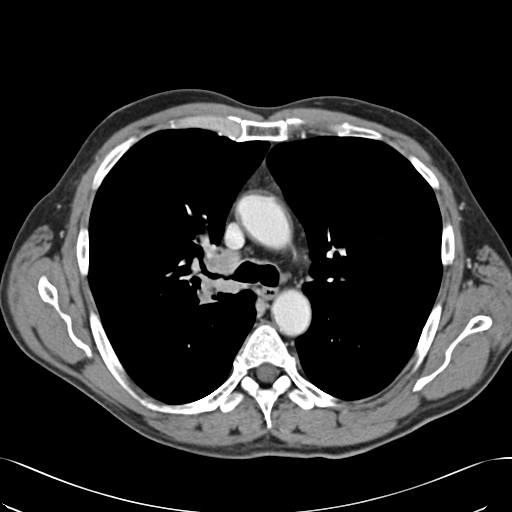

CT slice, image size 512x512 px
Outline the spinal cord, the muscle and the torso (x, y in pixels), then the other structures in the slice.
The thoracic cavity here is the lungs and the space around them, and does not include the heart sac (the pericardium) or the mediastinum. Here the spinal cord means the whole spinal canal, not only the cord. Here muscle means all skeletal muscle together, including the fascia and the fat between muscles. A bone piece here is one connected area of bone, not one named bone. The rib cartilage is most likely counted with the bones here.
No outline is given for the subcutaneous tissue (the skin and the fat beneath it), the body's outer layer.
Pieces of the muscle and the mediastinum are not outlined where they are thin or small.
The spinal cord is outlined by [[263,363],[269,363],[273,365],[277,369],[279,368],[281,368],[283,370],[283,372],[279,376],[276,377],[274,379],[271,385],[269,387],[262,387],[253,379],[253,378],[250,375],[250,373],[249,372],[249,371],[251,369],[255,369]]. The muscle appears in 2 outlined pieces: piece 1: [[192,102],[222,103],[251,111],[264,118],[278,111],[296,107],[339,111],[379,123],[419,143],[451,187],[462,217],[461,234],[466,256],[473,262],[477,250],[486,244],[498,254],[511,272],[511,340],[490,364],[481,379],[461,395],[417,413],[414,412],[390,432],[364,442],[342,446],[303,445],[298,447],[287,446],[272,435],[268,437],[264,435],[247,443],[212,447],[185,443],[167,436],[145,422],[137,420],[129,412],[108,402],[79,379],[35,353],[17,329],[7,302],[8,276],[17,251],[37,227],[45,224],[54,232],[53,248],[57,250],[60,247],[62,240],[59,238],[59,232],[66,229],[70,204],[78,182],[93,162],[97,151],[112,134],[129,123],[150,114]] with holes at [[202,115],[298,117],[306,122],[294,133],[311,135],[332,134],[327,127],[345,121],[377,131],[432,170],[441,221],[453,229],[454,257],[442,268],[435,298],[442,306],[439,322],[415,371],[407,377],[411,364],[377,393],[340,399],[339,407],[303,409],[283,393],[271,408],[270,429],[245,392],[228,412],[168,413],[144,406],[116,380],[91,331],[89,311],[98,310],[76,255],[97,192],[93,178],[107,153],[129,137]] and at [[480,314],[490,316],[492,320],[490,327],[486,330],[474,332],[464,337],[454,347],[451,353],[450,360],[446,367],[425,384],[421,389],[417,391],[413,391],[412,388],[420,377],[430,374],[441,365],[445,358],[446,349],[464,329],[469,320],[472,317]] and at [[43,275],[56,288],[57,301],[60,309],[64,313],[69,315],[71,319],[72,331],[90,348],[92,355],[91,357],[88,357],[84,350],[78,347],[72,341],[67,330],[67,325],[56,309],[51,304],[44,301],[41,298],[38,292],[37,285],[40,277]]; piece 2: [[129,377],[129,378],[140,389],[141,389],[144,392],[145,392],[149,396],[150,396],[151,397],[148,397],[147,396],[145,396],[144,397],[143,396],[141,396],[130,385],[130,384],[129,383],[129,380],[128,379],[129,378]]. The torso is outlined by [[176,88],[213,90],[258,106],[318,95],[349,96],[403,112],[433,132],[456,160],[511,254],[511,352],[487,386],[462,407],[363,453],[335,459],[271,455],[225,459],[186,452],[141,435],[27,356],[10,335],[0,312],[0,275],[24,219],[110,112]]. The thoracic cavity appears in 2 outlined pieces: piece 1: [[188,128],[214,131],[237,142],[268,141],[269,145],[231,204],[217,245],[221,277],[255,295],[256,316],[252,329],[236,353],[229,375],[219,386],[198,399],[171,404],[152,397],[130,378],[106,334],[88,280],[88,227],[97,190],[131,146],[158,130]]; piece 2: [[330,134],[383,141],[397,150],[433,190],[442,222],[440,283],[413,353],[386,387],[353,400],[340,399],[308,380],[291,352],[312,319],[310,300],[303,289],[313,279],[309,274],[312,261],[305,230],[266,161],[269,151],[280,142]]. The bones appear in 9 outlined pieces: piece 1: [[90,310],[98,314],[129,385],[141,397],[176,405],[208,395],[230,375],[251,331],[268,324],[294,354],[298,371],[341,405],[303,409],[283,393],[271,408],[270,429],[256,400],[245,392],[228,412],[218,407],[194,414],[150,409],[108,369],[91,331]]; inner edge: [[263,363],[269,363],[273,365],[277,369],[279,368],[281,368],[283,370],[283,372],[279,376],[276,377],[274,379],[271,385],[269,387],[262,387],[253,379],[253,378],[250,375],[250,373],[249,372],[249,371],[251,369],[255,369]]; piece 2: [[202,115],[222,117],[233,115],[255,121],[298,117],[306,122],[294,131],[293,137],[279,142],[259,139],[237,141],[214,130],[199,127],[158,129],[131,145],[98,188],[95,191],[92,189],[97,169],[107,153],[116,145],[131,136],[139,137],[172,119]]; piece 3: [[480,314],[490,316],[492,320],[490,327],[486,330],[474,332],[464,337],[454,347],[451,353],[450,360],[446,367],[425,384],[421,389],[417,391],[413,391],[412,388],[420,377],[430,374],[441,365],[445,358],[446,349],[464,329],[469,320],[472,317]]; piece 4: [[438,301],[441,302],[442,309],[441,310],[441,314],[437,326],[437,329],[435,332],[431,344],[417,369],[407,377],[410,373],[412,365],[411,364],[406,370],[402,372],[402,370],[412,357],[419,338],[421,335],[423,327],[427,321],[427,319],[434,304]]; piece 5: [[43,275],[56,288],[57,301],[60,309],[64,313],[69,315],[71,319],[72,331],[90,348],[92,355],[91,357],[88,357],[84,350],[78,347],[72,341],[67,330],[67,325],[56,309],[51,304],[44,301],[41,298],[38,292],[37,285],[40,277]]; piece 6: [[345,121],[353,125],[356,125],[361,127],[365,127],[377,131],[382,135],[384,140],[372,139],[371,138],[359,137],[358,136],[351,136],[350,135],[343,135],[340,136],[334,134],[330,131],[327,127],[330,124],[339,124]]; piece 7: [[81,226],[85,226],[87,227],[88,229],[88,272],[87,273],[87,276],[83,276],[81,275],[80,273],[80,271],[79,270],[79,267],[78,266],[78,262],[77,261],[77,256],[76,255],[76,244],[77,243],[77,238],[78,237],[79,230]]; piece 8: [[444,222],[449,222],[451,224],[452,226],[452,228],[453,229],[453,233],[454,234],[454,257],[453,258],[453,260],[451,264],[449,264],[443,267],[442,265],[442,262],[441,261],[441,245],[442,244],[442,229],[443,228],[443,223]]; piece 9: [[408,155],[413,155],[414,156],[415,156],[432,170],[432,171],[434,173],[434,174],[435,175],[435,176],[439,183],[439,188],[438,189],[433,189],[431,187],[431,186],[426,181],[426,180],[419,173],[419,172],[415,168],[415,167],[407,158],[407,156]]. The mediastinum is outlined by [[266,154],[266,165],[304,230],[311,261],[308,274],[312,279],[302,286],[309,300],[311,319],[307,329],[295,338],[294,351],[290,351],[272,325],[261,323],[253,328],[257,316],[255,293],[228,281],[220,272],[222,265],[218,245],[226,218],[241,188]].